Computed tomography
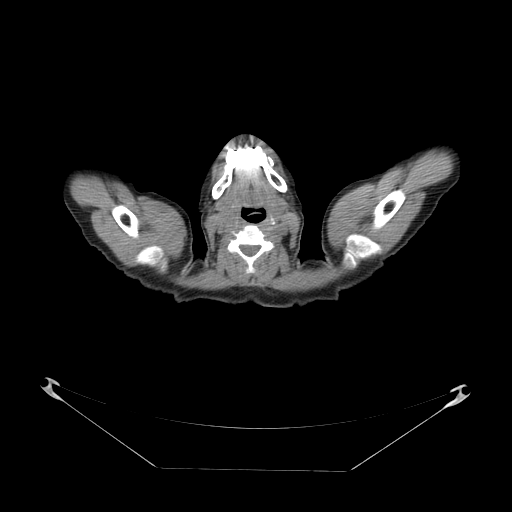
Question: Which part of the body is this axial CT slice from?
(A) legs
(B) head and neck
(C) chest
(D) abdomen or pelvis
Answer: (B) head and neck
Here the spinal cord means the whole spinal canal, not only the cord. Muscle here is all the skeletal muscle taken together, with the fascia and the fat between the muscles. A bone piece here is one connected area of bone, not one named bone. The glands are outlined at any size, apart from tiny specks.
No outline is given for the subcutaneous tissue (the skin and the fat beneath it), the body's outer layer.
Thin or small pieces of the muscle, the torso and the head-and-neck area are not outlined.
right arm: 78,165 91,165 117,172 124,180 132,182 138,190 154,191 180,204 189,215 193,233 192,252 187,263 175,273 140,284 138,281 126,277 100,252 90,246 82,236 80,228 67,209 62,197 64,175 71,167
bones 1: 246,144 250,147 259,144 272,159 272,167 284,179 288,187 287,190 281,192 276,189 267,179 263,169 253,158 243,157 236,163 229,185 217,199 213,199 211,190 223,174 226,163 226,151 238,146 243,147
bones 2: 249,223 256,224 262,232 267,233 274,244 271,250 268,252 264,252 253,262 252,265 254,268 254,271 251,273 246,272 246,269 248,266 247,263 236,252 230,252 227,249 229,239 232,236 231,231 237,232 with a hole at 241,245 250,245 251,246 254,246 255,245 258,245 259,246 259,249 254,254 253,254 252,255 247,255 246,254 245,254 241,250 241,249 240,248 240,246
bones 3: 353,233 358,233 359,234 362,234 368,236 381,246 382,251 381,253 373,255 368,258 365,259 358,259 357,260 357,265 355,268 353,269 346,269 342,266 341,261 346,246 346,238 348,235
bones 4: 399,188 400,188 405,194 405,199 403,201 402,204 397,211 390,218 390,219 385,223 384,225 379,229 372,230 371,229 371,223 372,222 372,218 373,217 372,212 375,206 379,201 387,194 391,191
bones 5: 150,245 158,245 162,248 162,249 167,258 167,269 164,272 161,272 158,269 158,268 157,267 150,267 147,265 141,265 140,264 138,264 137,263 136,263 134,261 135,256 143,248 144,248 147,246 149,246
bones 6: 118,204 122,204 126,207 127,207 136,216 136,217 138,219 138,221 139,222 139,228 138,229 138,232 139,233 139,235 137,238 134,238 128,235 119,226 117,222 114,219 111,213 111,210 114,205 117,205
spinal cord: 241,245 250,245 251,246 254,246 255,245 258,245 259,246 259,249 254,254 253,254 252,255 247,255 246,254 245,254 241,250 241,249 240,248 240,246
muscle 1: 241,138 257,141 268,148 288,178 299,217 295,246 289,258 293,270 338,265 338,256 328,241 327,222 334,204 350,190 375,182 395,166 432,149 443,149 452,154 454,167 448,177 427,189 420,211 392,248 362,262 355,270 324,287 303,292 283,292 255,286 233,286 221,290 186,288 176,284 208,269 214,257 204,224 206,191 213,167 224,146 with holes at 246,144 250,147 259,144 272,159 272,167 284,179 288,188 285,192 276,189 253,158 243,157 236,163 231,181 219,197 225,196 231,205 227,209 220,209 216,206 217,200 212,198 211,190 223,174 226,151 and at 249,223 256,224 262,232 267,233 274,244 271,250 268,252 264,252 253,262 252,265 254,268 254,271 251,273 246,272 246,269 248,266 247,263 236,252 230,252 227,249 229,239 232,236 231,231 237,232 and at 353,233 358,233 359,234 362,234 368,236 381,246 382,251 381,253 373,255 368,258 365,259 358,259 357,260 357,265 355,268 353,269 346,269 342,266 341,261 346,246 346,238 348,235 and at 399,188 400,188 405,194 405,199 403,201 402,204 397,211 390,218 390,219 385,223 384,225 379,229 372,230 371,229 371,223 372,222 372,218 373,217 372,212 375,206 379,201 387,194 391,191 and at 243,208 252,208 252,209 253,210 257,210 259,208 261,208 262,209 263,209 263,211 264,212 264,217 263,218 263,219 262,219 261,220 260,220 259,221 249,221 247,219 246,219 242,215 242,210 243,209 and at 276,199 282,199 283,200 284,200 287,203 288,203 288,205 285,208 284,208 282,210 282,211 280,213 279,213 278,214 277,214 273,210 273,209 272,208 272,203
muscle 2: 80,173 94,174 104,179 108,178 117,180 125,185 135,196 148,196 153,199 166,203 173,207 181,215 184,220 187,231 187,236 185,240 185,245 183,249 182,256 179,262 173,267 173,270 169,274 165,276 158,275 149,267 143,266 127,267 123,265 117,259 111,250 96,235 91,225 89,213 85,209 80,207 71,196 69,190 70,180 74,175; inner edges: 150,245 158,245 162,248 162,249 167,258 167,269 164,272 161,272 158,269 158,268 157,267 150,267 147,265 141,265 140,264 138,264 137,263 136,263 134,261 135,256 143,248 144,248 147,246 149,246, then 118,204 122,204 126,207 127,207 136,216 136,217 138,219 138,221 139,222 139,228 138,229 138,232 139,233 139,235 137,238 134,238 128,235 119,226 117,222 114,219 111,213 111,210 114,205 117,205
head and neck: 240,132 247,132 261,138 281,156 294,177 304,215 299,250 299,257 302,261 278,294 261,306 251,302 231,305 221,298 214,289 203,257 206,251 206,244 200,227 200,214 197,209 200,187 211,162 226,142; inner edge: 243,208 252,208 252,209 253,210 257,210 259,208 261,208 262,209 263,209 263,211 264,212 264,217 263,218 263,219 262,219 261,220 260,220 259,221 249,221 247,219 246,219 242,215 242,210 243,209
submandibular glands 1: 276,199 282,199 283,200 284,200 287,203 288,203 288,205 285,208 284,208 282,210 282,211 280,213 279,213 278,214 277,214 273,210 273,209 272,208 272,203
submandibular glands 2: 225,196 226,197 226,198 230,202 230,203 231,204 231,205 230,206 230,207 229,207 227,209 220,209 219,208 218,208 216,206 216,202 217,201 217,200 218,199 219,199 220,198 221,198 222,197 224,197
left arm: 435,141 450,142 458,149 462,161 461,174 458,181 442,196 425,224 405,246 387,260 383,267 359,285 349,289 345,287 326,267 321,259 323,253 320,243 320,229 322,217 329,201 345,185 381,172 396,159
torso 1: 307,257 320,258 325,267 330,271 345,288 348,289 341,291 339,299 337,301 317,300 302,307 294,306 290,308 276,308 275,307 264,307 262,306 273,300 279,294 289,281 293,273 298,268 298,266
torso 2: 193,249 193,253 196,257 202,256 213,289 220,298 227,303 208,299 196,299 189,302 176,303 174,302 171,295 164,294 158,291 149,290 144,288 141,285 160,280 180,271 188,263 192,255